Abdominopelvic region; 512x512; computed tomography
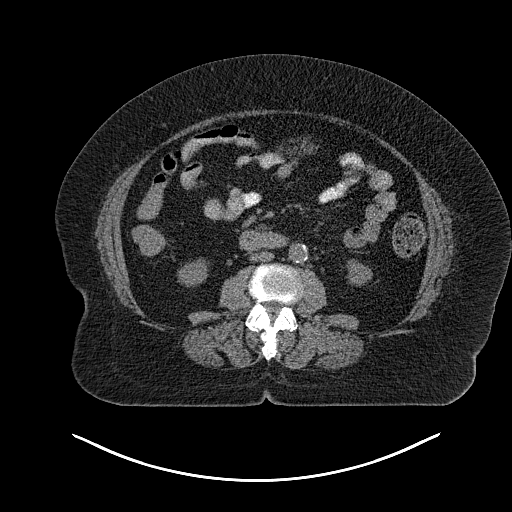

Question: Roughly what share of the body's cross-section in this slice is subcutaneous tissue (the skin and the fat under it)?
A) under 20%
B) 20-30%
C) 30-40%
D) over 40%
Answer: D) over 40%
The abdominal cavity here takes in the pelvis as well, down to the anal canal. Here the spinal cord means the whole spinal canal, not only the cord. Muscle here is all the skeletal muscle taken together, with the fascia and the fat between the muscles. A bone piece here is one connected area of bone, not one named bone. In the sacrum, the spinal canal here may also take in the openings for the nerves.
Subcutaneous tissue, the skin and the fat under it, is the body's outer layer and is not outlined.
The bones are outlined by [[268,263],[286,264],[297,269],[303,287],[302,296],[291,305],[297,328],[292,331],[279,330],[276,333],[277,353],[269,360],[265,359],[261,351],[263,345],[260,338],[261,332],[253,331],[245,324],[245,319],[255,301],[248,291],[248,282],[255,267]], around a hole outlined by [[268,301],[276,301],[277,302],[279,302],[282,304],[282,306],[279,309],[279,310],[278,311],[278,312],[276,314],[276,315],[274,315],[273,314],[270,314],[267,311],[267,309],[264,306],[264,305],[263,304],[263,303],[264,302],[267,302]]. The torso is outlined by [[259,53],[347,63],[402,86],[451,122],[492,175],[508,214],[511,257],[488,339],[476,356],[475,377],[455,401],[125,406],[92,396],[74,379],[70,358],[84,304],[68,279],[54,223],[67,170],[99,126],[149,87],[206,62]]. The muscle is outlined by [[259,108],[321,112],[377,134],[421,173],[452,219],[454,253],[432,312],[411,333],[376,339],[363,357],[345,367],[313,371],[269,361],[278,353],[277,333],[298,328],[292,305],[304,294],[299,269],[313,271],[325,288],[327,304],[318,311],[321,314],[355,316],[360,330],[390,328],[409,313],[416,299],[430,239],[427,213],[413,172],[389,149],[353,128],[297,113],[221,119],[158,149],[127,191],[119,222],[121,249],[141,309],[156,321],[185,326],[191,312],[221,311],[223,282],[251,266],[247,291],[254,301],[244,324],[260,332],[263,360],[225,370],[194,362],[171,333],[141,323],[119,301],[100,261],[94,236],[97,218],[110,186],[127,167],[189,125],[229,111]]. The spinal cord is outlined by [[268,301],[276,301],[277,302],[279,302],[282,304],[282,306],[279,309],[279,310],[278,311],[278,312],[276,314],[276,315],[274,315],[273,314],[270,314],[267,311],[267,309],[264,306],[264,305],[263,304],[263,303],[264,302],[267,302]]. The abdominal cavity is outlined by [[268,114],[346,126],[389,150],[415,177],[429,239],[415,299],[394,325],[360,329],[355,315],[321,313],[328,304],[323,282],[311,269],[281,262],[239,269],[221,284],[222,309],[191,311],[185,325],[154,319],[136,300],[120,222],[144,164],[214,122]].